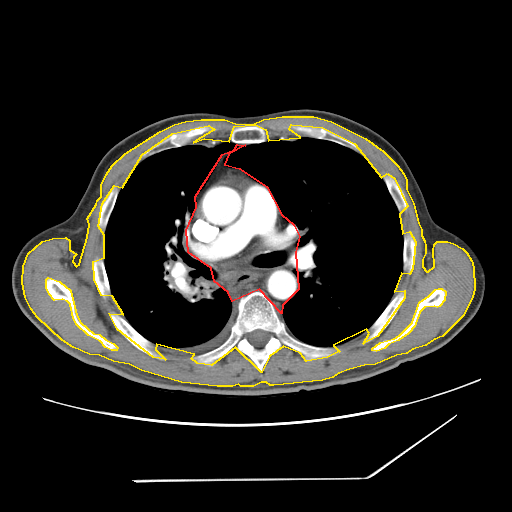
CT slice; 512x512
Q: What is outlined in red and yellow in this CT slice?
A: red: mediastinum; yellow: muscle.
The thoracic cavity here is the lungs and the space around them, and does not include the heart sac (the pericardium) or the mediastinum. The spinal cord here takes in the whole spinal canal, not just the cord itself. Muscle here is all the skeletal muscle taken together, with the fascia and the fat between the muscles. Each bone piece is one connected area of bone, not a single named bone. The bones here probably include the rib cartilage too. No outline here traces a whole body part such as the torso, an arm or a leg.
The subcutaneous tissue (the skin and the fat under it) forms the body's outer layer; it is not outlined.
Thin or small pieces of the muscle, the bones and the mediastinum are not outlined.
The mediastinum is outlined by 237,144 245,145 228,154 224,164 239,168 266,186 281,214 293,224 299,236 295,252 298,289 282,305 281,313 259,289 232,301 228,292 214,281 211,268 188,252 186,230 196,207 195,196 222,154 234,149. The muscle is outlined by 282,116 313,116 331,121 365,138 383,151 397,165 403,173 406,180 406,189 413,203 418,223 421,229 421,235 424,240 425,246 425,253 422,259 422,266 426,271 428,271 434,266 433,250 434,244 437,241 447,241 453,243 462,248 466,252 471,260 473,267 474,288 472,297 462,316 442,336 434,339 425,345 412,349 406,353 396,355 375,364 364,365 349,369 338,373 332,377 322,380 273,385 270,385 266,382 261,382 253,386 241,386 238,384 232,386 217,386 181,382 141,370 129,364 113,361 99,355 89,354 73,347 62,340 37,317 31,309 25,297 22,282 23,266 28,253 42,241 52,238 65,237 69,240 69,249 76,254 73,257 72,261 76,266 79,264 87,237 89,224 87,218 96,204 97,200 101,196 101,185 106,174 112,165 125,153 160,131 174,124 185,121 201,119 224,119 235,123 252,124 263,119; inner edges: 255,124 265,129 268,140 300,137 289,129 291,124 322,127 354,143 381,177 387,173 394,178 407,206 399,214 402,233 409,231 415,241 412,269 409,274 401,273 394,291 404,290 404,298 377,336 363,343 369,333 366,329 333,345 339,351 327,357 306,361 300,353 283,346 269,356 261,372 235,347 211,365 197,363 191,358 194,354 156,344 155,349 165,359 153,357 117,329 109,313 123,314 112,296 101,295 94,279 93,261 104,257 104,235 98,226 102,203 114,185 122,187 142,154 172,133 208,125 214,129 193,142 204,138 229,141 234,126, then 48,277 59,281 70,290 76,315 80,322 93,333 99,334 105,339 113,343 117,347 116,350 111,350 105,347 100,341 88,335 77,325 73,318 70,304 67,301 62,299 54,300 49,294 46,287 46,279, then 438,288 441,288 445,291 444,300 439,306 437,307 434,306 424,307 419,312 414,326 408,333 398,340 388,344 384,348 376,351 372,350 372,348 380,342 394,338 399,335 412,322 419,302 429,295 435,289. The thoracic cavity appears in 2 outlined pieces: piece 1: 301,136 327,140 360,154 382,178 399,213 403,234 402,272 392,297 367,329 332,346 313,345 298,339 279,316 283,305 299,289 296,252 300,236 266,185 239,167 224,162 228,155 246,145 275,138 289,142; piece 2: 229,141 236,146 221,154 194,196 185,239 188,254 207,265 217,287 223,288 232,302 237,300 237,314 218,346 198,354 180,353 155,344 123,315 112,296 105,267 104,235 120,189 141,161 193,142 214,147. The spinal cord is outlined by 258,329 259,329 260,330 263,330 264,331 267,332 269,334 269,337 268,338 268,340 266,342 266,343 262,347 256,347 255,346 254,346 249,341 249,340 248,339 248,334 249,333 250,333 255,330 257,330. The bones appear in 12 outlined pieces: piece 1: 254,290 263,292 270,299 287,331 295,338 313,346 334,347 339,351 327,357 306,361 300,353 283,346 269,356 261,372 250,357 235,347 211,365 197,363 191,358 193,356 210,351 227,339 238,314 240,298 with a hole at 258,329 259,329 260,330 263,330 264,331 267,332 269,334 269,337 268,338 268,340 266,342 266,343 262,347 256,347 255,346 254,346 249,341 249,340 248,339 248,334 249,333 250,333 255,330 257,330; piece 2: 48,277 59,281 70,290 76,315 80,322 93,333 99,334 105,339 113,343 117,347 116,350 111,350 105,347 100,341 88,335 77,325 73,318 70,304 67,301 62,299 54,300 49,294 46,287 46,279; piece 3: 202,125 211,126 213,127 214,129 213,130 208,131 202,135 196,137 191,142 187,144 176,147 171,147 162,150 159,152 154,153 140,161 140,158 142,154 148,148 164,138 169,136 172,133 187,130 190,128; piece 4: 111,311 113,311 124,317 124,318 135,330 136,330 142,336 155,345 155,349 158,352 163,354 165,356 165,359 161,360 155,357 153,357 138,349 135,346 134,346 117,329 115,325 112,322 109,315 109,313; piece 5: 401,290 404,290 405,291 405,295 397,312 395,314 393,318 386,326 386,327 377,336 376,336 370,341 366,343 363,343 363,340 364,338 365,338 369,333 368,329 370,327 370,326 382,313 393,296 396,293; piece 6: 291,124 322,127 354,143 359,148 360,153 355,151 349,147 344,146 341,144 339,144 336,142 327,139 321,139 320,138 316,138 310,136 304,136 295,133 289,129 288,125; piece 7: 438,288 441,288 445,291 444,300 439,306 437,307 434,306 424,307 419,312 414,326 408,333 398,340 388,344 384,348 376,351 372,350 372,348 380,342 394,338 399,335 412,322 419,302 429,295 435,289; piece 8: 255,124 258,124 259,125 261,125 267,132 267,139 265,141 264,141 263,142 259,142 258,143 250,143 249,144 242,144 241,143 235,143 230,140 230,131 231,130 231,129 234,126 242,126 243,125 254,125; piece 9: 96,257 101,257 103,258 104,267 105,268 105,271 106,272 106,275 107,276 107,279 109,283 109,287 111,292 111,296 107,298 104,298 101,295 96,285 96,283 94,279 94,276 93,275 93,261; piece 10: 114,185 116,185 119,188 119,191 118,192 115,203 113,206 112,211 109,216 109,218 108,219 108,221 105,228 104,234 103,234 98,226 98,218 99,217 99,211 101,208 102,203 106,198 111,188; piece 11: 384,173 387,173 388,174 390,174 394,178 394,179 399,184 404,194 404,196 405,197 405,201 406,202 406,205 407,207 406,208 406,210 404,210 400,213 382,177 382,175; piece 12: 409,231 411,233 411,234 412,235 412,236 415,241 415,259 414,260 414,263 413,264 413,266 412,267 412,269 411,270 410,273 409,274 408,274 405,271 403,271 403,247 404,246 404,234 406,232 408,232.